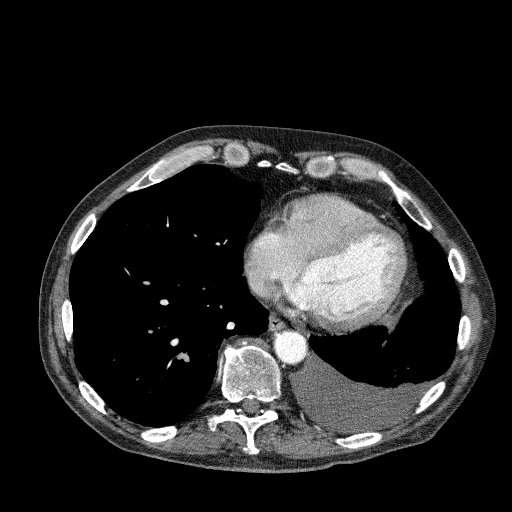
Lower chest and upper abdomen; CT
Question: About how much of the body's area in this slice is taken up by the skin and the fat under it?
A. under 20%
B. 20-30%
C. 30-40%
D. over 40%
Answer: A. under 20%
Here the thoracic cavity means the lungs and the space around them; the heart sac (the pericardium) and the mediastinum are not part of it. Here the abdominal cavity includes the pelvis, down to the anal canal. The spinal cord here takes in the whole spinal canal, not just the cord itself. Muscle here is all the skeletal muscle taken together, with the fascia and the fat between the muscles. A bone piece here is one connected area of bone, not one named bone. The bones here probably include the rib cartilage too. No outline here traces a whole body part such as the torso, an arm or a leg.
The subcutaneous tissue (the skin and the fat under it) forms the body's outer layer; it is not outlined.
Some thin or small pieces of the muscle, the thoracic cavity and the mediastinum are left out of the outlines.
{"spinal_cord":[[[244,399],[256,399],[258,401],[259,401],[259,402],[260,403],[260,406],[259,407],[259,408],[257,410],[257,411],[255,413],[253,413],[252,414],[248,414],[247,413],[246,413],[244,411],[244,410],[242,408],[242,407],[241,406],[241,402]]],"abdominal_cavity":[[[416,278],[417,280],[419,278],[422,281],[423,291],[422,293],[416,296],[404,308],[391,331],[389,331],[388,327],[384,324],[374,324],[373,323],[378,321],[384,315],[390,312],[400,301],[401,302],[405,300],[410,295],[412,291],[412,286],[414,285]]],"bones":[{"outer":[[241,341],[266,350],[281,371],[281,395],[271,403],[278,418],[261,425],[254,432],[254,444],[259,450],[256,454],[242,450],[247,437],[237,422],[221,422],[214,431],[207,425],[207,416],[220,413],[227,405],[219,390],[223,378],[222,352],[227,345]],"hole":[[244,399],[256,399],[258,401],[259,401],[259,402],[260,403],[260,406],[259,407],[259,408],[257,410],[257,411],[255,413],[253,413],[252,414],[248,414],[247,413],[246,413],[244,411],[244,410],[242,408],[242,407],[241,406],[241,402]]},[[323,155],[331,155],[338,161],[344,157],[361,158],[385,171],[417,203],[432,224],[431,230],[426,230],[414,221],[400,206],[389,188],[382,183],[342,174],[342,169],[339,166],[333,175],[325,178],[306,174],[304,168],[307,160]],[[197,145],[210,145],[212,146],[214,149],[214,153],[216,155],[216,158],[207,161],[199,161],[196,162],[159,182],[154,183],[146,187],[131,192],[126,192],[126,189],[131,184],[140,177],[154,163],[161,158],[166,158],[182,149]],[[230,142],[237,142],[238,143],[243,144],[248,149],[249,151],[249,153],[250,154],[250,160],[248,163],[247,163],[245,165],[242,165],[241,166],[228,166],[224,164],[224,161],[222,158],[222,154],[223,153],[223,148],[226,144]],[[371,431],[380,431],[382,433],[382,437],[379,441],[366,446],[362,446],[357,448],[348,448],[347,447],[343,447],[339,445],[336,443],[334,440],[335,438],[337,437],[343,437],[344,436],[348,436],[353,434],[360,434],[361,433],[370,432]],[[92,211],[94,211],[95,212],[97,217],[97,221],[95,224],[95,226],[79,249],[74,255],[72,255],[70,254],[69,251],[70,250],[71,243],[74,238],[74,236],[78,228],[83,222],[84,219],[87,216],[87,215]],[[170,425],[175,425],[177,426],[178,428],[178,432],[175,435],[175,436],[170,439],[167,439],[160,442],[150,442],[143,439],[140,436],[140,432],[142,430],[146,428],[148,428],[149,427],[151,427],[152,428],[158,428],[159,427],[169,426]],[[451,246],[455,247],[459,251],[462,257],[463,262],[464,263],[464,266],[465,267],[465,277],[464,278],[464,281],[462,283],[458,283],[455,280],[453,276],[452,271],[450,268],[448,260],[447,259],[447,253],[448,252],[449,248]],[[78,379],[83,379],[96,392],[96,393],[103,400],[103,401],[105,403],[105,408],[107,411],[107,414],[103,414],[99,411],[98,411],[93,406],[92,406],[84,398],[84,397],[81,394],[81,393],[79,390],[78,385],[77,384],[77,380]],[[440,380],[444,380],[446,382],[446,386],[443,392],[435,401],[434,401],[430,405],[429,405],[424,410],[423,410],[421,412],[417,414],[415,414],[414,413],[414,411],[420,399],[430,388],[431,388],[438,381]],[[68,297],[69,298],[69,300],[71,304],[71,309],[72,310],[72,321],[73,322],[73,332],[72,333],[72,340],[70,342],[68,342],[66,339],[65,333],[63,329],[63,324],[62,323],[62,319],[61,318],[61,306],[62,305],[62,303],[64,299]],[[463,314],[466,314],[469,317],[470,319],[470,323],[471,324],[471,330],[470,331],[469,339],[465,345],[464,348],[461,350],[458,350],[456,349],[456,347],[457,346],[457,343],[456,341],[457,340],[457,335],[458,334],[459,321],[460,320],[461,315]],[[261,159],[267,159],[269,160],[274,165],[281,161],[284,161],[296,167],[300,171],[298,173],[296,173],[295,174],[294,173],[291,173],[287,171],[284,171],[283,170],[281,170],[280,169],[275,168],[272,166],[270,167],[260,167],[256,165],[256,162]]],"pericardium":[[[300,188],[315,188],[317,190],[327,191],[335,190],[369,200],[387,211],[391,219],[404,231],[409,244],[411,259],[407,283],[402,290],[397,304],[369,325],[338,334],[308,332],[297,328],[251,293],[243,274],[244,250],[250,234],[266,209],[280,194]]],"mediastinum":[[[252,161],[260,168],[272,167],[295,175],[302,172],[325,179],[341,174],[385,186],[412,243],[418,278],[409,295],[400,300],[412,267],[405,231],[381,205],[335,189],[300,187],[280,193],[263,212],[244,249],[260,212],[261,185],[247,181],[228,167]],[[262,304],[278,313],[297,329],[324,335],[309,336],[308,353],[301,365],[291,371],[284,381],[282,381],[282,371],[275,357],[257,344],[241,340],[235,344],[229,343],[222,351],[219,351],[223,340],[230,336],[235,334],[256,336],[267,329],[268,311]]],"muscle":[[[207,138],[235,138],[260,142],[275,148],[285,160],[289,159],[293,153],[312,150],[343,151],[363,155],[390,170],[425,204],[458,244],[469,261],[478,287],[483,324],[469,379],[452,402],[436,417],[399,437],[349,453],[305,459],[288,458],[274,453],[259,453],[260,450],[254,440],[255,432],[261,426],[279,418],[279,413],[272,403],[282,394],[282,398],[301,421],[323,432],[339,446],[348,449],[366,447],[379,442],[383,433],[378,430],[393,424],[414,407],[413,413],[417,415],[435,402],[447,386],[443,378],[448,372],[456,350],[464,349],[471,335],[471,319],[466,313],[461,314],[461,301],[456,285],[456,282],[462,284],[465,281],[466,267],[460,251],[455,246],[451,245],[446,253],[444,251],[431,232],[433,224],[409,192],[398,185],[385,170],[366,159],[344,156],[338,160],[331,154],[316,155],[306,160],[303,172],[284,160],[274,164],[267,158],[250,161],[249,149],[237,141],[230,141],[223,146],[221,154],[223,164],[208,161],[217,158],[215,149],[210,144],[185,147],[158,159],[181,144]],[[152,163],[125,189],[127,193],[114,201],[98,218],[94,210],[89,212],[77,228],[70,243],[68,252],[74,257],[69,271],[68,296],[61,303],[60,318],[66,341],[73,342],[74,362],[82,377],[76,380],[76,384],[83,398],[101,414],[108,414],[107,406],[120,416],[148,427],[142,429],[139,436],[150,443],[160,443],[175,437],[179,432],[178,424],[194,415],[200,406],[219,391],[225,399],[226,405],[220,412],[208,414],[206,425],[211,432],[214,432],[221,423],[227,421],[237,423],[245,433],[246,441],[241,450],[247,454],[175,453],[149,447],[128,438],[92,418],[64,387],[50,361],[47,345],[49,296],[64,247],[71,232],[77,222],[92,207],[122,182]]],"thoracic_cavity":[[[199,162],[222,164],[247,182],[260,185],[259,212],[244,240],[242,275],[250,293],[267,311],[267,326],[256,335],[235,333],[222,340],[218,351],[222,355],[219,388],[194,414],[177,425],[146,426],[106,405],[76,365],[70,271],[76,253],[114,202]],[[392,196],[414,222],[431,233],[446,254],[461,307],[455,352],[442,379],[399,419],[377,430],[332,439],[295,414],[283,398],[282,382],[302,365],[310,350],[311,335],[348,334],[371,324],[384,325],[391,332],[405,308],[423,293],[411,235]]]}